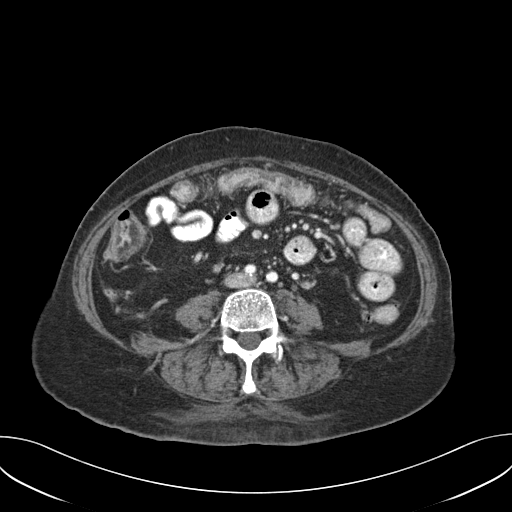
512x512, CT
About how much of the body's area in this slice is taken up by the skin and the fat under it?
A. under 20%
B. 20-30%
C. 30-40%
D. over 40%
C. 30-40%
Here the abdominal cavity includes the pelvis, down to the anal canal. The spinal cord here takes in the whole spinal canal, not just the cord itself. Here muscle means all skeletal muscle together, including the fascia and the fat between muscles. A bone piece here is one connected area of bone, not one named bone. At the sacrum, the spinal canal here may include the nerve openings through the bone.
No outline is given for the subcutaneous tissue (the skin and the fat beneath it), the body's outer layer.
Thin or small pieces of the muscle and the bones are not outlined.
The abdominal cavity is outlined by [[252,162],[340,185],[397,225],[420,289],[399,335],[376,347],[316,339],[317,306],[287,289],[275,294],[284,331],[271,296],[254,287],[229,293],[216,315],[217,289],[177,307],[190,337],[135,331],[126,341],[106,327],[92,271],[114,220],[173,181]]. The muscle is outlined by [[254,155],[264,155],[280,160],[289,160],[299,162],[302,164],[315,167],[331,173],[350,182],[374,197],[385,202],[399,212],[404,218],[415,227],[420,234],[427,246],[428,251],[435,266],[437,289],[432,315],[428,324],[414,338],[403,345],[390,348],[382,353],[372,355],[353,362],[352,363],[353,364],[348,370],[330,387],[310,398],[305,398],[289,402],[281,402],[270,401],[266,399],[247,396],[240,400],[224,404],[201,401],[183,397],[168,387],[162,381],[152,369],[146,358],[122,349],[110,340],[103,337],[86,321],[84,316],[76,306],[72,291],[71,277],[74,259],[78,249],[91,228],[110,209],[123,201],[127,197],[179,170],[195,164],[226,157],[253,156]] with a hole at [[252,162],[387,214],[420,289],[403,331],[376,347],[312,337],[324,327],[317,306],[279,290],[293,341],[280,361],[253,361],[247,394],[244,362],[219,353],[219,290],[174,310],[192,343],[141,331],[126,341],[96,309],[92,271],[108,228],[143,196]]. The bones are outlined by [[247,288],[261,289],[270,296],[277,327],[293,339],[282,344],[280,361],[276,362],[269,353],[263,353],[253,361],[251,375],[256,390],[250,394],[241,390],[245,379],[244,362],[233,353],[220,354],[221,341],[218,338],[220,312],[225,298],[232,292]]; inner edge: [[244,332],[259,332],[260,333],[261,333],[261,335],[262,336],[262,338],[256,347],[255,347],[252,349],[246,349],[245,348],[244,348],[243,347],[242,347],[239,344],[239,343],[237,341],[237,340],[236,339],[236,336],[238,333],[243,333]]. The torso is outlined by [[227,125],[256,126],[336,143],[377,166],[415,201],[440,240],[451,274],[456,363],[448,384],[431,403],[393,423],[317,443],[214,446],[155,440],[99,424],[65,407],[41,388],[30,362],[31,335],[70,240],[85,212],[116,177],[155,148],[185,134]]. The spinal cord is outlined by [[244,332],[259,332],[260,333],[261,333],[261,335],[262,336],[262,338],[256,347],[255,347],[252,349],[246,349],[245,348],[244,348],[243,347],[242,347],[239,344],[239,343],[237,341],[237,340],[236,339],[236,336],[238,333],[243,333]].